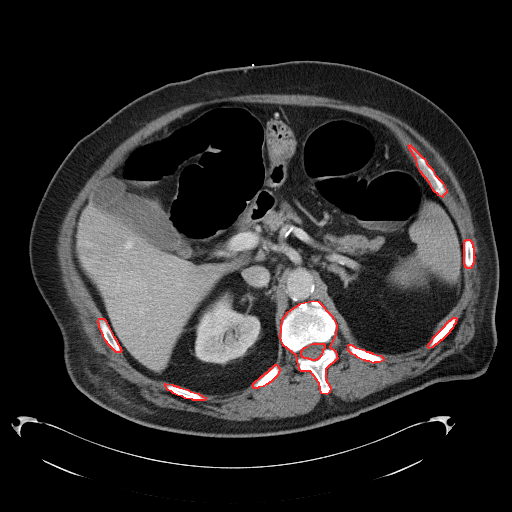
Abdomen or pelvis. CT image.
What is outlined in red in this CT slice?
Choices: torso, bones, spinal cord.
red: bones.
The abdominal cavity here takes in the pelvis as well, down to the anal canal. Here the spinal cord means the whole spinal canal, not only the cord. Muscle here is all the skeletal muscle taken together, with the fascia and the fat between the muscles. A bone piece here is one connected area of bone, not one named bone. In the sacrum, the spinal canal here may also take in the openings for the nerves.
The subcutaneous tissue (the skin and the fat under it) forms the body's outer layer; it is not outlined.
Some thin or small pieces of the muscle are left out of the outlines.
The bones appear in 8 outlined pieces: piece 1: (312, 300) (318, 301) (331, 315) (336, 324) (335, 335) (329, 346) (335, 351) (337, 358) (325, 369) (325, 379) (330, 387) (329, 392) (326, 394) (321, 393) (319, 383) (310, 371) (301, 371) (299, 369) (296, 355) (283, 345) (280, 337) (282, 319) (287, 312) (300, 303) with a hole at (312, 343) (323, 343) (324, 344) (324, 348) (322, 350) (321, 355) (317, 359) (316, 359) (315, 360) (312, 360) (311, 359) (309, 359) (308, 358) (304, 358) (303, 357) (302, 357) (302, 356) (301, 355) (301, 351) (302, 350) (302, 349) (304, 347) (305, 347); piece 2: (409, 144) (413, 148) (414, 148) (414, 149) (422, 157) (424, 158) (426, 163) (432, 169) (435, 175) (442, 182) (446, 190) (446, 192) (442, 196) (442, 197) (438, 195) (438, 194) (434, 191) (429, 182) (420, 171) (417, 165) (416, 159) (409, 148) (409, 146) (408, 145); piece 3: (349, 344) (351, 344) (355, 347) (363, 349) (366, 351) (368, 351) (369, 352) (371, 352) (372, 353) (380, 355) (383, 358) (383, 360) (379, 362) (374, 362) (373, 363) (369, 361) (366, 361) (365, 360) (363, 360) (357, 357) (355, 355) (352, 354) (348, 350) (348, 345); piece 4: (99, 318) (103, 318) (105, 320) (113, 336) (115, 338) (117, 343) (120, 347) (120, 349) (121, 350) (120, 352) (116, 352) (107, 343) (107, 342) (105, 340) (103, 336) (103, 334) (99, 327) (99, 324) (98, 323) (98, 320); piece 5: (165, 383) (172, 384) (173, 385) (175, 385) (176, 386) (178, 386) (179, 387) (187, 389) (190, 391) (198, 393) (202, 396) (205, 397) (205, 399) (204, 400) (193, 400) (192, 399) (185, 398) (182, 396) (177, 395) (173, 393) (171, 391) (168, 390) (165, 386); piece 6: (275, 364) (276, 364) (279, 368) (279, 371) (278, 372) (277, 375) (270, 382) (269, 382) (267, 384) (266, 384) (263, 386) (258, 387) (257, 388) (254, 388) (252, 385) (253, 384) (253, 383) (262, 375) (263, 375) (266, 372) (267, 372) (270, 369) (270, 368) (271, 368); piece 7: (453, 317) (455, 317) (456, 318) (456, 320) (455, 321) (455, 323) (453, 325) (452, 328) (449, 331) (449, 332) (441, 340) (440, 340) (436, 344) (435, 344) (432, 347) (429, 348) (428, 347) (428, 344) (432, 340) (433, 337) (445, 325) (445, 324) (449, 320) (450, 320); piece 8: (466, 239) (469, 239) (471, 241) (471, 242) (472, 243) (472, 246) (473, 247) (473, 255) (474, 256) (474, 257) (473, 258) (473, 263) (472, 264) (472, 265) (471, 266) (471, 267) (470, 268) (467, 268) (466, 267) (465, 267) (465, 265) (464, 264) (464, 241). The abdominal cavity is outlined by (220, 102) (344, 110) (372, 118) (394, 133) (447, 207) (463, 242) (461, 295) (427, 344) (399, 354) (355, 346) (312, 299) (286, 312) (277, 363) (241, 391) (199, 393) (152, 378) (129, 361) (76, 269) (72, 242) (79, 214) (102, 179) (142, 141) (187, 113). The torso is outlined by (291, 60) (345, 63) (391, 77) (438, 105) (470, 141) (484, 176) (499, 259) (497, 342) (486, 370) (471, 379) (433, 383) (346, 420) (272, 436) (182, 434) (143, 426) (107, 410) (68, 376) (59, 328) (30, 270) (30, 228) (51, 177) (80, 138) (152, 89) (214, 69). The spinal cord is outlined by (312, 343) (323, 343) (324, 344) (324, 348) (322, 350) (321, 355) (317, 359) (316, 359) (315, 360) (312, 360) (311, 359) (309, 359) (308, 358) (304, 358) (303, 357) (302, 357) (302, 356) (301, 355) (301, 351) (302, 350) (302, 349) (304, 347) (305, 347). The muscle is outlined by (260, 93) (308, 94) (324, 96) (349, 101) (378, 109) (393, 115) (407, 123) (422, 135) (437, 150) (454, 173) (466, 197) (475, 229) (475, 235) (479, 249) (480, 290) (476, 309) (476, 324) (474, 335) (471, 340) (460, 351) (446, 356) (435, 365) (416, 376) (396, 382) (360, 399) (356, 399) (353, 401) (345, 401) (334, 395) (325, 395) (320, 399) (312, 410) (304, 414) (275, 419) (252, 419) (240, 421) (218, 418) (199, 412) (159, 408) (142, 398) (113, 376) (101, 364) (93, 352) (85, 335) (80, 328) (79, 322) (66, 294) (61, 280) (61, 274) (59, 270) (56, 251) (56, 244) (59, 228) (70, 204) (90, 176) (102, 164) (107, 156) (122, 141) (146, 123) (174, 108) (183, 105) (220, 97) (244, 94) (259, 94); inner edge: (220, 102) (353, 112) (388, 127) (416, 165) (409, 144) (424, 158) (442, 182) (441, 199) (474, 256) (464, 268) (458, 301) (433, 331) (433, 337) (456, 318) (441, 340) (430, 348) (381, 354) (383, 360) (373, 363) (352, 354) (336, 330) (329, 346) (337, 358) (325, 369) (328, 393) (282, 346) (279, 371) (270, 382) (201, 393) (204, 400) (173, 393) (107, 343) (98, 323) (104, 315) (72, 256) (79, 214) (102, 179) (142, 141).